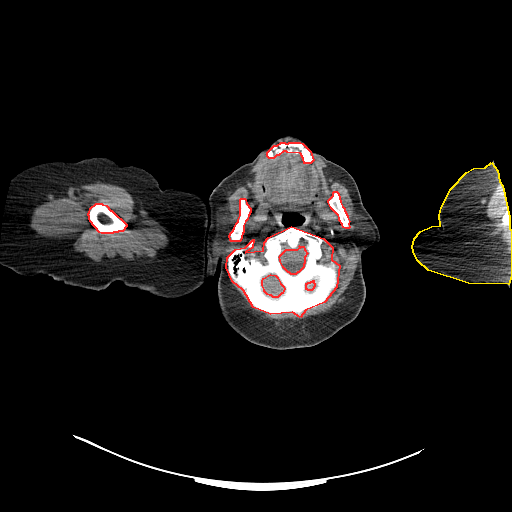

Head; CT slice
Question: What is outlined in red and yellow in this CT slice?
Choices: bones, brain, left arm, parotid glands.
Answer: red: bones; yellow: left arm.
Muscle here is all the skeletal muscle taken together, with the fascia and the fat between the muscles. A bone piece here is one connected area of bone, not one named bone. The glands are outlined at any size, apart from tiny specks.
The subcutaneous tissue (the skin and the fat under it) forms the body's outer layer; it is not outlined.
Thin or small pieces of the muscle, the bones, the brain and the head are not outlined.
Outlined structures:
bones 1: (291, 226) (323, 238) (332, 247) (331, 259) (339, 265) (336, 287) (324, 302) (305, 310) (300, 317) (292, 312) (270, 314) (253, 307) (243, 290) (232, 281) (226, 267) (227, 257) (235, 249) (245, 247) (253, 239) (252, 247) (245, 252) (263, 250) (264, 242) (268, 237) with holes at (299, 246) (303, 246) (304, 249) (307, 253) (304, 257) (304, 263) (303, 264) (303, 267) (298, 272) (297, 272) (295, 274) (291, 274) (289, 272) (288, 272) (283, 267) (280, 261) (280, 259) (279, 257) (280, 255) (286, 249) (297, 249) (300, 247) and at (270, 274) (275, 275) (277, 277) (280, 283) (283, 286) (284, 288) (282, 293) (281, 293) (277, 297) (273, 297) (271, 295) (269, 295) (267, 294) (264, 291) (264, 289) (262, 285) (262, 280) (263, 278) and at (313, 280) (313, 282) (314, 283) (314, 286) (313, 287) (313, 288) (311, 290) (308, 290) (307, 289) (306, 289) (306, 283) (307, 283) (308, 282) (310, 282) (311, 281) (312, 281)
bones 2: (96, 203) (101, 203) (102, 204) (106, 205) (110, 210) (111, 210) (126, 224) (126, 226) (124, 228) (124, 229) (122, 231) (118, 231) (117, 232) (113, 232) (112, 233) (101, 233) (99, 232) (90, 221) (89, 219) (89, 216) (88, 215) (88, 213) (89, 212) (90, 208)
bones 3: (281, 142) (284, 142) (285, 143) (288, 143) (289, 142) (300, 142) (302, 143) (310, 151) (313, 160) (310, 163) (304, 163) (303, 158) (300, 153) (287, 152) (286, 151) (283, 151) (278, 155) (276, 155) (273, 158) (269, 158) (267, 156) (267, 152) (274, 145) (277, 145)
bones 4: (241, 198) (244, 198) (245, 199) (246, 203) (250, 208) (250, 212) (248, 215) (247, 219) (245, 221) (243, 225) (243, 232) (242, 233) (240, 240) (239, 241) (231, 241) (230, 240) (229, 235) (234, 228) (236, 223) (238, 221) (238, 219) (240, 215) (240, 199)
bones 5: (334, 191) (336, 191) (338, 193) (340, 202) (342, 206) (344, 208) (344, 210) (347, 215) (347, 217) (349, 221) (348, 223) (349, 227) (348, 228) (345, 228) (343, 227) (342, 224) (339, 220) (339, 217) (338, 215) (331, 208) (328, 202) (328, 200) (333, 195) (333, 192)
left arm: (491, 162) (497, 170) (499, 181) (502, 185) (509, 217) (509, 228) (511, 230) (511, 275) (508, 284) (468, 283) (428, 270) (418, 261) (414, 254) (412, 247) (414, 238) (420, 231) (431, 226) (440, 225) (439, 215) (441, 207) (451, 188) (466, 172) (473, 168) (485, 167)
brain 1: (299, 246) (303, 246) (304, 249) (307, 253) (304, 257) (304, 263) (303, 264) (303, 267) (298, 272) (297, 272) (295, 274) (291, 274) (289, 272) (288, 272) (283, 267) (280, 261) (280, 259) (279, 257) (280, 255) (286, 249) (297, 249) (300, 247)
brain 2: (270, 274) (275, 275) (277, 277) (280, 283) (283, 286) (284, 288) (282, 293) (281, 293) (277, 297) (273, 297) (271, 295) (269, 295) (267, 294) (264, 291) (264, 289) (262, 285) (262, 280) (263, 278)
muscle 1: (283, 152) (300, 154) (304, 164) (314, 160) (313, 154) (344, 180) (356, 212) (351, 215) (350, 221) (336, 190) (327, 202) (342, 227) (349, 228) (358, 252) (355, 287) (351, 300) (341, 312) (329, 323) (312, 329) (308, 334) (294, 332) (282, 336) (254, 327) (234, 311) (227, 290) (228, 275) (253, 308) (270, 315) (292, 313) (300, 318) (305, 311) (324, 303) (338, 285) (340, 265) (332, 259) (333, 247) (323, 237) (297, 226) (306, 221) (301, 213) (284, 211) (281, 224) (285, 229) (268, 236) (263, 242) (263, 249) (246, 252) (254, 245) (251, 238) (245, 246) (230, 252) (226, 261) (229, 238) (231, 242) (241, 240) (251, 208) (241, 197) (236, 222) (230, 203) (224, 198) (234, 182) (245, 177) (263, 155) (273, 159)
muscle 2: (96, 181) (124, 187) (132, 195) (138, 210) (143, 210) (149, 217) (159, 221) (169, 230) (170, 245) (162, 249) (150, 261) (117, 259) (99, 264) (86, 262) (75, 253) (69, 236) (44, 236) (34, 231) (29, 223) (32, 210) (36, 205) (65, 198) (68, 195) (69, 186), around a hole outlined by (96, 203) (101, 203) (102, 204) (106, 205) (110, 210) (111, 210) (126, 224) (126, 226) (124, 228) (124, 229) (122, 231) (118, 231) (117, 232) (113, 232) (112, 233) (101, 233) (99, 232) (90, 221) (89, 219) (89, 216) (88, 215) (88, 213) (89, 212) (90, 208)
muscle 3: (500, 182) (501, 182) (502, 185) (504, 197) (505, 198) (505, 202) (507, 207) (507, 210) (505, 211) (502, 216) (502, 220) (507, 227) (509, 227) (510, 224) (510, 227) (509, 228) (511, 230) (511, 246) (510, 249) (499, 226) (488, 214) (489, 203) (498, 183)
right arm: (92, 157) (106, 157) (120, 166) (140, 167) (149, 172) (162, 189) (190, 190) (207, 202) (206, 270) (205, 279) (199, 287) (175, 298) (160, 297) (119, 280) (104, 289) (93, 290) (65, 284) (46, 274) (22, 275) (0, 264) (4, 209) (12, 178) (36, 164) (76, 162)
parotid glands 1: (225, 202) (229, 203) (232, 214) (235, 220) (235, 224) (228, 235) (228, 245) (227, 248) (224, 252) (222, 252) (221, 251) (215, 251) (213, 249) (213, 244) (214, 243) (215, 235) (217, 233) (218, 230) (218, 228) (216, 227) (216, 210) (217, 210) (219, 207) (222, 206)
parotid glands 2: (354, 213) (356, 213) (357, 214) (359, 214) (363, 216) (365, 221) (367, 222) (370, 226) (371, 226) (371, 229) (373, 233) (373, 238) (372, 239) (372, 241) (370, 243) (368, 243) (364, 246) (357, 245) (352, 239) (352, 233) (350, 229) (350, 222) (351, 221) (351, 217)
head: (287, 134) (297, 136) (310, 150) (350, 173) (356, 182) (364, 207) (377, 225) (380, 239) (361, 253) (365, 299) (357, 316) (317, 344) (274, 348) (244, 338) (228, 324) (222, 314) (217, 289) (220, 261) (213, 275) (206, 278) (207, 201) (224, 177) (252, 161) (272, 142) with a hole at (284, 212) (289, 212) (290, 213) (292, 213) (293, 212) (296, 212) (299, 214) (301, 214) (305, 218) (305, 221) (303, 223) (302, 223) (301, 224) (299, 224) (296, 226) (295, 225) (291, 225) (290, 226) (288, 226) (287, 227) (285, 225) (282, 224) (282, 214)